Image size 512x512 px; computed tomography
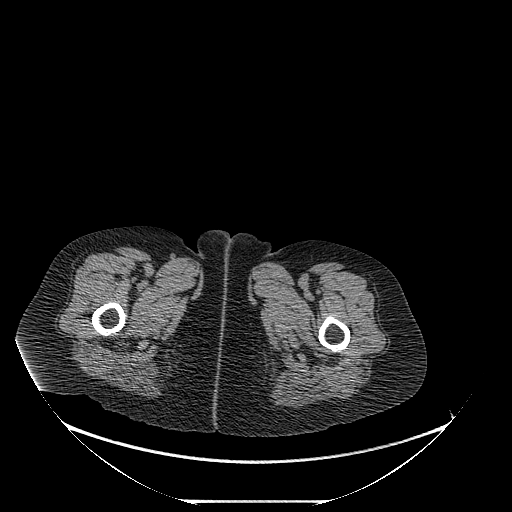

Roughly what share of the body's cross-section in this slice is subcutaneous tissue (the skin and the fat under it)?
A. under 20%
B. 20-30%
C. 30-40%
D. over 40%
D. over 40%
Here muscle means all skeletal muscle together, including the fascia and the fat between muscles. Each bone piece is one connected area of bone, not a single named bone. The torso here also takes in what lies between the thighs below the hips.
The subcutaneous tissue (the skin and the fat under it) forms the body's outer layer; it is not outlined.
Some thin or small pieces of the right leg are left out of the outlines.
The torso is outlined by [[210,229],[222,229],[227,231],[231,235],[238,232],[247,232],[261,240],[268,241],[271,244],[271,248],[275,250],[273,252],[273,256],[280,436],[245,437],[222,434],[218,431],[204,433],[197,431],[178,431],[171,429],[199,251],[196,241],[201,233]]. The muscle appears in 2 outlined pieces: piece 1: [[324,258],[345,260],[374,281],[379,293],[379,322],[389,338],[388,348],[373,361],[369,381],[348,399],[311,403],[296,408],[270,407],[272,404],[267,395],[271,387],[272,355],[258,313],[248,297],[248,277],[252,267],[262,262],[306,267]]; inner edge: [[329,314],[332,314],[336,318],[341,320],[345,323],[348,326],[350,330],[350,340],[347,346],[343,350],[339,352],[333,352],[327,347],[322,345],[318,340],[318,338],[317,337],[318,335],[318,329],[319,328],[319,326],[322,323],[323,320],[326,316]]; piece 2: [[96,245],[130,246],[163,259],[173,255],[190,257],[197,261],[202,269],[201,292],[188,308],[178,326],[168,364],[168,376],[164,391],[166,394],[157,399],[139,396],[85,375],[74,364],[71,341],[55,329],[56,316],[66,305],[71,266],[81,253]], around a hole outlined by [[108,301],[118,301],[119,303],[122,306],[127,316],[126,317],[125,324],[119,331],[118,331],[116,333],[111,334],[108,336],[103,336],[99,334],[94,329],[93,326],[91,324],[91,315],[94,311],[94,310],[97,307],[98,307],[100,305]]. The left leg is outlined by [[311,239],[325,240],[357,249],[380,261],[394,274],[404,292],[409,307],[422,333],[427,353],[427,369],[423,383],[418,391],[412,397],[398,405],[349,423],[336,424],[333,426],[330,426],[324,430],[289,436],[281,436],[274,252],[277,249],[291,243]]. The bones appear in 2 outlined pieces: piece 1: [[108,301],[118,301],[119,303],[122,306],[127,316],[126,317],[125,324],[119,331],[118,331],[116,333],[111,334],[108,336],[103,336],[99,334],[94,329],[93,326],[91,324],[91,315],[94,311],[94,310],[97,307],[98,307],[100,305]]; piece 2: [[329,314],[332,314],[336,318],[341,320],[345,323],[348,326],[350,330],[350,340],[347,346],[343,350],[339,352],[333,352],[327,347],[322,345],[318,340],[318,338],[317,337],[318,335],[318,329],[319,328],[319,326],[322,323],[323,320],[326,316]]. The right leg is outlined by [[134,225],[164,228],[181,237],[193,250],[196,250],[197,247],[198,250],[170,429],[132,420],[119,413],[106,410],[97,401],[84,394],[64,395],[40,392],[16,349],[18,340],[16,339],[16,329],[19,320],[56,254],[70,241],[84,234],[107,228]].